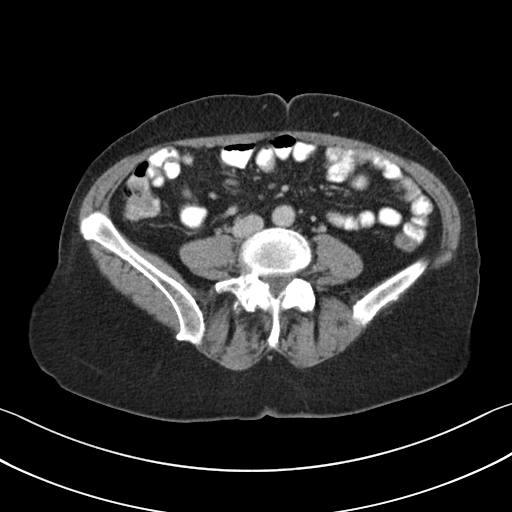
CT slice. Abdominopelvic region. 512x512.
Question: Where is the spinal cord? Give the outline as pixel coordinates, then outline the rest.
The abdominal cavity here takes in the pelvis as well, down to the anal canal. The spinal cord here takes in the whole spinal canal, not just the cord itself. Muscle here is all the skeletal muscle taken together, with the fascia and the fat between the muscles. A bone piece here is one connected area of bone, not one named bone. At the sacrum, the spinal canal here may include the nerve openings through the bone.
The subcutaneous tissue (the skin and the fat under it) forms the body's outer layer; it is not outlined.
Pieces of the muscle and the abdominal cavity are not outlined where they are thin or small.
Answer: Outlines (x, y in pixels):
spinal cord: (284, 274) (289, 274) (291, 276) (291, 280) (285, 286) (285, 287) (282, 290) (281, 290) (276, 296) (275, 296) (271, 293) (270, 291) (270, 286) (269, 284) (267, 282) (265, 282) (261, 278) (263, 278) (264, 277) (266, 277) (270, 275) (283, 275)
abdominal cavity: (278, 134) (372, 150) (399, 165) (438, 208) (438, 250) (352, 288) (344, 285) (364, 264) (349, 245) (315, 235) (308, 266) (308, 240) (271, 226) (241, 243) (240, 270) (230, 235) (184, 242) (182, 263) (215, 281) (188, 283) (116, 227) (112, 195) (162, 147) (209, 148)
bones 1: (271, 227) (297, 231) (309, 243) (312, 259) (299, 275) (311, 284) (315, 296) (311, 311) (295, 306) (280, 311) (276, 348) (267, 343) (272, 325) (267, 311) (257, 307) (248, 312) (240, 305) (236, 313) (235, 295) (217, 292) (214, 287) (217, 281) (240, 273) (242, 243); inner edge: (284, 274) (289, 274) (291, 276) (291, 280) (285, 286) (285, 287) (282, 290) (281, 290) (276, 296) (275, 296) (271, 293) (270, 291) (270, 286) (269, 284) (267, 282) (265, 282) (261, 278) (263, 278) (264, 277) (266, 277) (270, 275) (283, 275)
bones 2: (97, 210) (109, 217) (125, 241) (137, 253) (179, 282) (192, 295) (202, 312) (205, 327) (200, 344) (194, 345) (188, 341) (176, 339) (175, 335) (179, 330) (177, 314) (167, 297) (152, 281) (127, 261) (98, 242) (91, 239) (86, 240) (82, 237) (79, 231) (81, 219)
bones 3: (422, 257) (426, 258) (428, 260) (428, 264) (424, 271) (415, 280) (415, 281) (409, 287) (400, 293) (397, 299) (391, 300) (382, 306) (378, 310) (373, 318) (364, 326) (356, 324) (352, 318) (352, 313) (353, 312) (353, 309) (352, 308) (353, 305) (371, 289) (412, 262)
muscle 1: (120, 232) (162, 258) (191, 286) (213, 284) (217, 293) (233, 294) (236, 314) (240, 306) (248, 313) (257, 308) (267, 312) (271, 349) (279, 344) (281, 311) (295, 307) (305, 313) (315, 307) (313, 286) (300, 275) (315, 262) (315, 236) (333, 236) (360, 256) (361, 272) (344, 287) (362, 290) (383, 280) (352, 305) (356, 325) (371, 322) (339, 354) (298, 368) (272, 349) (251, 367) (232, 370) (194, 346) (202, 343) (206, 327) (193, 295)
muscle 2: (272, 130) (304, 130) (357, 139) (424, 166) (445, 185) (459, 211) (461, 229) (454, 258) (426, 275) (399, 301) (374, 318) (382, 307) (397, 300) (425, 271) (429, 260) (424, 256) (433, 256) (439, 250) (442, 237) (439, 208) (409, 172) (385, 155) (367, 148) (316, 143) (290, 133) (209, 147) (162, 146) (139, 161) (120, 182) (108, 202) (109, 216) (97, 209) (80, 219) (78, 225) (78, 231) (81, 237) (78, 232) (77, 220) (84, 197) (97, 178) (122, 158) (166, 141)
muscle 3: (84, 240) (94, 241) (118, 256) (146, 277) (160, 290) (171, 304) (178, 320) (178, 330) (174, 336) (172, 331) (167, 326) (155, 320) (151, 315) (136, 306) (129, 298) (117, 291) (110, 284) (109, 281) (100, 273) (95, 261) (92, 258) (88, 250) (86, 242)
muscle 4: (215, 235) (227, 235) (231, 237) (231, 239) (234, 243) (234, 252) (236, 255) (236, 264) (235, 267) (240, 271) (237, 275) (234, 275) (216, 281) (193, 273) (183, 263) (180, 258) (180, 255) (179, 254) (179, 249) (184, 243) (192, 240) (206, 238)
torso: (265, 92) (286, 100) (305, 92) (332, 93) (388, 110) (439, 148) (463, 178) (474, 204) (481, 257) (467, 369) (427, 392) (325, 418) (265, 415) (172, 422) (60, 387) (32, 357) (27, 324) (31, 304) (56, 265) (62, 221) (86, 167) (117, 138) (164, 109) (207, 95)